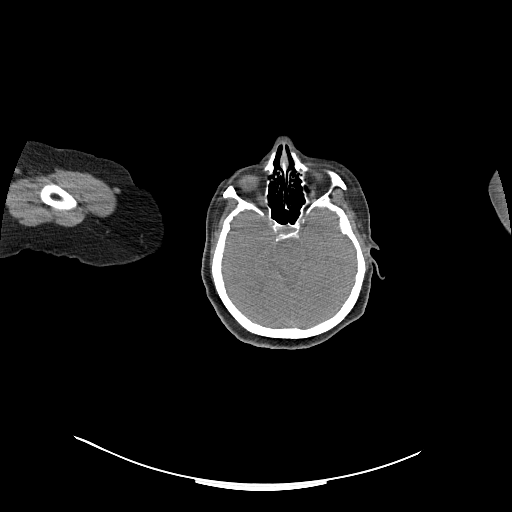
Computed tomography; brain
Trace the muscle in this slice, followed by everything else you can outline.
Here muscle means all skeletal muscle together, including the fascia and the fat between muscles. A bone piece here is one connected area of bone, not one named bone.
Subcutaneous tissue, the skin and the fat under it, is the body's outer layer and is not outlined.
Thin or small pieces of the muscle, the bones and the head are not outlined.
muscle 1: (55, 167) (66, 170) (88, 172) (108, 183) (118, 200) (115, 212) (110, 217) (92, 218) (89, 216) (83, 224) (78, 224) (72, 227) (62, 226) (53, 222) (37, 226) (24, 226) (18, 223) (9, 213) (7, 204) (8, 196) (13, 183) (22, 176) (27, 178) (51, 174), around a hole outlined by (50, 183) (54, 183) (64, 189) (67, 192) (68, 192) (76, 200) (77, 202) (77, 205) (75, 207) (71, 209) (68, 209) (67, 210) (60, 210) (59, 209) (53, 208) (51, 206) (44, 203) (41, 200) (39, 193) (40, 192) (40, 190) (44, 185) (46, 184) (49, 184)
muscle 2: (345, 178) (347, 178) (351, 182) (351, 185) (355, 188) (356, 197) (362, 212) (362, 224) (365, 234) (366, 256) (368, 261) (367, 269) (361, 245) (353, 230) (348, 215) (339, 205) (331, 200) (330, 196) (336, 187) (339, 187) (344, 191) (347, 189) (347, 185) (343, 179)
muscle 3: (222, 192) (222, 196) (224, 198) (233, 198) (236, 201) (236, 204) (222, 221) (221, 228) (218, 234) (218, 237) (214, 247) (212, 259) (210, 264) (210, 269) (209, 255) (210, 254) (213, 216) (216, 209) (218, 207) (218, 202) (219, 201) (218, 199) (222, 195)
right arm: (30, 139) (59, 148) (72, 148) (91, 153) (98, 157) (111, 159) (124, 166) (134, 183) (148, 190) (159, 206) (165, 226) (165, 238) (161, 248) (154, 254) (131, 263) (103, 267) (88, 265) (75, 258) (55, 256) (30, 249) (0, 258) (2, 221) (10, 183) (21, 153)
head: (281, 134) (289, 136) (304, 154) (335, 160) (356, 176) (369, 208) (371, 237) (378, 246) (370, 252) (384, 277) (373, 270) (367, 303) (359, 318) (325, 341) (299, 349) (259, 347) (238, 339) (217, 315) (201, 275) (206, 212) (218, 184) (235, 170) (257, 162), around holes outlined by (294, 172) (297, 174) (299, 185) (302, 188) (301, 194) (303, 202) (295, 219) (292, 222) (287, 221) (282, 223) (272, 215) (272, 209) (268, 200) (269, 186) (272, 180) (269, 176) (273, 175) (273, 180) (277, 180) (279, 177) (282, 177) (283, 185) (288, 188) (294, 181) and by (279, 146) (281, 146) (281, 153) (280, 154) (280, 156) (279, 157) (279, 166) (280, 167) (280, 169) (278, 169) (275, 172) (275, 167) (274, 166) (274, 160) (275, 159) (275, 157) (276, 156) (276, 154) (277, 153) (277, 150) (278, 149) (278, 148) (279, 147) and by (287, 147) (288, 147) (288, 151) (289, 152) (289, 154) (290, 155) (290, 156) (291, 157) (291, 159) (292, 160) (292, 161) (293, 162) (293, 171) (292, 170) (291, 170) (290, 169) (289, 169) (289, 160) (288, 159) (288, 155) (287, 154) (287, 152) (286, 151) (286, 148)
bones 1: (282, 141) (289, 144) (299, 159) (311, 169) (306, 174) (307, 189) (313, 190) (314, 196) (318, 196) (328, 187) (329, 178) (323, 169) (334, 171) (344, 181) (346, 189) (336, 186) (329, 196) (347, 215) (360, 245) (366, 269) (359, 296) (348, 314) (325, 332) (297, 339) (266, 337) (245, 329) (221, 301) (211, 274) (213, 255) (223, 221) (237, 204) (233, 197) (224, 197) (223, 192) (232, 185) (242, 198) (258, 204) (266, 179) (263, 167) (272, 150), around holes outlined by (316, 208) (325, 208) (336, 215) (340, 232) (350, 240) (355, 250) (356, 270) (347, 296) (332, 315) (307, 327) (272, 327) (252, 320) (230, 297) (223, 276) (223, 257) (232, 221) (240, 213) (251, 211) (267, 220) (275, 234) (274, 241) (278, 242) (297, 239) (306, 217) and by (294, 172) (297, 174) (299, 185) (302, 188) (301, 194) (303, 202) (295, 219) (292, 222) (287, 221) (282, 223) (272, 215) (272, 209) (268, 200) (269, 186) (272, 180) (269, 176) (273, 175) (273, 180) (277, 180) (279, 177) (282, 177) (283, 185) (288, 188) (294, 181) and by (279, 146) (281, 146) (281, 153) (280, 154) (280, 156) (279, 157) (279, 166) (280, 167) (280, 169) (278, 169) (275, 172) (275, 167) (274, 166) (274, 160) (275, 159) (275, 157) (276, 156) (276, 154) (277, 153) (277, 150) (278, 149) (278, 148) (279, 147) and by (287, 147) (288, 147) (288, 151) (289, 152) (289, 154) (290, 155) (290, 156) (291, 157) (291, 159) (292, 160) (292, 161) (293, 162) (293, 171) (292, 170) (291, 170) (290, 169) (289, 169) (289, 160) (288, 159) (288, 155) (287, 154) (287, 152) (286, 151) (286, 148)
bones 2: (50, 183) (54, 183) (64, 189) (67, 192) (68, 192) (76, 200) (77, 202) (77, 205) (75, 207) (71, 209) (68, 209) (67, 210) (60, 210) (59, 209) (53, 208) (51, 206) (44, 203) (41, 200) (39, 193) (40, 192) (40, 190) (44, 185) (46, 184) (49, 184)
brain: (316, 208) (325, 208) (336, 215) (340, 232) (350, 240) (355, 250) (356, 270) (347, 296) (332, 315) (307, 327) (272, 327) (252, 320) (230, 297) (223, 276) (223, 257) (232, 221) (240, 213) (251, 211) (267, 220) (275, 234) (274, 241) (278, 242) (297, 239) (306, 217)
left arm: (495, 170) (498, 174) (501, 187) (504, 194) (505, 203) (507, 209) (507, 214) (508, 215) (508, 219) (507, 220) (508, 221) (507, 222) (508, 223) (508, 227) (511, 230) (511, 232) (507, 235) (496, 215) (496, 213) (490, 201) (488, 195) (488, 191) (487, 190) (488, 181)